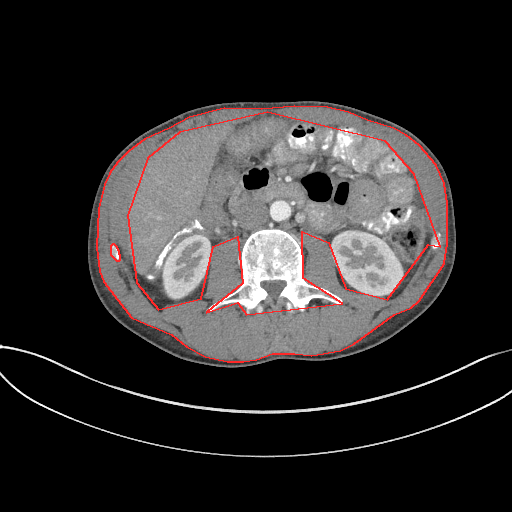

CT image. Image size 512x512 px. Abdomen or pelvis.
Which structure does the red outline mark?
red: muscle.
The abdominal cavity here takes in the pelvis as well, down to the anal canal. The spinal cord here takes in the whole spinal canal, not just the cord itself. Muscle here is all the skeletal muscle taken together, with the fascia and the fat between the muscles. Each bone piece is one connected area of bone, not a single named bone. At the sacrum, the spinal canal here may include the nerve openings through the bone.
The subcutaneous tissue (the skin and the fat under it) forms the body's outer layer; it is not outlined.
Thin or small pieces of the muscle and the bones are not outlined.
Outlines (x, y in pixels):
muscle: 227 361; 243 361; 256 359; 272 353; 294 353; 311 355; 340 350; 354 343; 394 314; 411 307; 419 300; 444 263; 447 243; 447 203; 444 183; 436 165; 419 145; 406 135; 393 128; 367 120; 348 112; 327 107; 294 106; 261 109; 224 108; 189 117; 169 128; 144 139; 128 151; 117 162; 109 173; 104 184; 98 208; 96 247; 99 271; 103 281; 131 317; 171 334; 186 346; 205 356; inner edges: 246 314; 342 303; 303 278; 302 231; 328 242; 345 288; 387 299; 428 244; 440 246; 414 174; 385 141; 267 112; 179 132; 147 158; 127 215; 136 282; 158 309; 201 298; 213 246; 237 236; 242 283; 206 312; 237 302, then 116 260; 119 260; 120 259; 120 255; 119 254; 119 251; 118 250; 118 249; 117 248; 117 247; 114 244; 112 244; 110 246; 110 254
abdominal cavity: 158 309; 202 297; 211 251; 225 237; 241 239; 241 272; 245 238; 267 227; 284 229; 302 247; 303 272; 307 254; 299 234; 310 231; 328 242; 345 288; 394 297; 430 239; 414 174; 385 141; 345 125; 267 112; 179 132; 147 158; 127 215; 134 277
bones: 246 314; 253 309; 260 313; 264 303; 274 309; 282 303; 288 312; 303 312; 312 298; 337 304; 342 303; 342 299; 305 281; 304 255; 290 235; 282 229; 260 229; 251 233; 242 246; 240 286; 206 309; 210 312; 237 302; 245 308; inner edge: 273 299; 275 299; 277 297; 277 296; 279 294; 281 290; 284 287; 284 286; 286 284; 285 281; 283 281; 282 280; 275 280; 274 281; 264 281; 263 282; 261 282; 261 286; 262 286; 267 291; 269 295; 269 297
torso: 218 367; 244 367; 276 359; 329 360; 351 355; 389 339; 435 301; 455 260; 455 216; 446 172; 419 137; 391 120; 335 102; 230 101; 184 111; 146 130; 118 152; 100 179; 90 213; 87 263; 93 288; 110 315; 131 332; 178 358
spinal cord: 273 299; 275 299; 277 297; 277 296; 279 294; 281 290; 284 287; 284 286; 286 284; 285 281; 283 281; 282 280; 275 280; 274 281; 264 281; 263 282; 261 282; 261 286; 262 286; 267 291; 269 295; 269 297